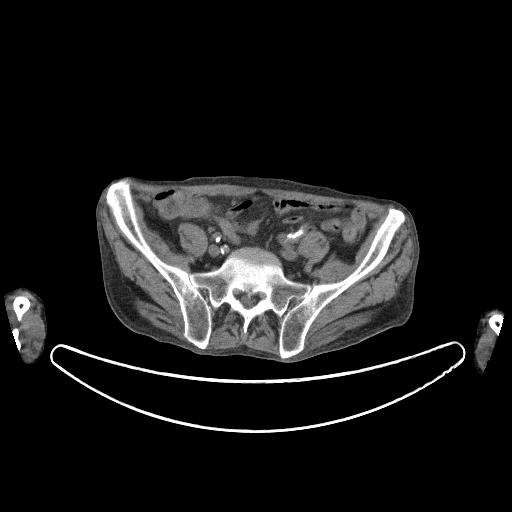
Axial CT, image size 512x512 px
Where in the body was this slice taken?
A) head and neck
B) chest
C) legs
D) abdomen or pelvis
D) abdomen or pelvis
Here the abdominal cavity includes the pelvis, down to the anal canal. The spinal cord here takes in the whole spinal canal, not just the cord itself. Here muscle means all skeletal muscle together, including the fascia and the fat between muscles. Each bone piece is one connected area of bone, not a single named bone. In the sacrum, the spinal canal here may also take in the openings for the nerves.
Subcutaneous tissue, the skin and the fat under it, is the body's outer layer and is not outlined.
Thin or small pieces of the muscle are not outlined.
The torso is outlined by [[124,175],[156,180],[178,180],[205,175],[277,177],[395,200],[403,204],[412,214],[419,240],[412,313],[407,322],[401,326],[389,328],[345,348],[291,363],[242,355],[201,355],[135,333],[118,320],[106,299],[95,218],[96,204],[103,188],[114,178]]. The muscle appears in 6 outlined pieces: piece 1: [[128,178],[152,185],[233,184],[394,204],[404,210],[411,221],[414,249],[412,265],[396,298],[381,307],[371,320],[325,344],[298,354],[304,349],[309,329],[324,307],[374,269],[384,258],[396,232],[405,222],[403,211],[392,206],[387,209],[365,254],[350,273],[337,281],[311,285],[314,279],[311,276],[329,255],[336,254],[340,260],[348,264],[354,261],[356,253],[372,228],[368,214],[358,205],[318,203],[296,197],[271,196],[262,191],[246,195],[210,195],[172,187],[161,189],[140,201],[147,226],[157,232],[176,253],[185,253],[177,231],[180,224],[187,222],[195,224],[204,230],[207,237],[203,254],[200,257],[189,258],[191,272],[188,272],[161,259],[144,237]]; piece 2: [[105,193],[105,202],[119,230],[169,283],[172,288],[178,301],[182,316],[183,336],[190,343],[181,340],[171,333],[154,326],[147,319],[138,313],[134,305],[134,299],[140,295],[141,291],[132,281],[124,276],[121,272],[106,238],[101,223],[100,208]]; piece 3: [[223,304],[227,304],[231,311],[236,312],[242,317],[242,331],[244,333],[247,332],[248,327],[254,318],[263,315],[269,310],[279,318],[281,318],[277,337],[278,355],[266,351],[252,349],[245,345],[226,349],[207,349],[213,329],[212,309],[217,309]]; piece 4: [[17,291],[26,291],[36,299],[40,305],[40,316],[44,325],[44,334],[41,341],[40,350],[38,354],[28,362],[24,362],[21,357],[19,352],[21,348],[21,343],[19,340],[19,329],[17,327],[15,327],[12,330],[10,329],[4,304],[4,299]]; inner edge: [[19,295],[22,295],[23,296],[25,296],[29,300],[29,301],[30,302],[30,305],[29,306],[28,309],[22,315],[22,317],[21,318],[20,321],[19,321],[17,319],[16,314],[13,309],[13,301],[14,300],[15,297],[16,296],[18,296]]; piece 5: [[312,230],[316,230],[322,233],[327,238],[329,242],[329,247],[328,248],[328,251],[327,253],[319,262],[315,264],[311,259],[309,259],[308,258],[304,257],[300,253],[299,251],[299,245],[300,244],[300,241],[308,232]]; piece 6: [[494,311],[498,312],[493,313],[488,318],[487,323],[498,337],[494,350],[490,357],[489,361],[486,364],[483,371],[480,368],[477,361],[477,344],[478,343],[478,340],[481,335],[481,332],[483,327],[482,325],[483,319],[485,318],[489,313]]. The bones appear in 4 outlined pieces: piece 1: [[122,178],[151,249],[188,273],[257,247],[293,281],[333,283],[359,265],[389,208],[405,219],[380,262],[323,307],[297,354],[280,357],[282,318],[272,310],[244,332],[243,317],[227,303],[211,309],[202,349],[184,336],[170,283],[115,222],[106,193]] with a hole at [[234,289],[238,289],[240,291],[246,292],[248,296],[255,295],[257,293],[262,293],[263,294],[263,298],[262,299],[260,299],[257,303],[254,304],[251,307],[247,308],[244,306],[244,305],[238,298],[236,298],[234,296],[234,294],[233,293],[233,290]]; piece 2: [[19,295],[22,295],[23,296],[25,296],[29,300],[29,301],[30,302],[30,305],[29,306],[28,309],[22,315],[22,317],[21,318],[20,321],[19,321],[17,319],[16,314],[13,309],[13,301],[14,300],[15,297],[16,296],[18,296]]; piece 3: [[495,313],[499,313],[503,316],[502,325],[501,326],[501,328],[500,329],[500,331],[499,332],[499,334],[498,335],[497,335],[497,334],[492,329],[492,328],[489,325],[489,324],[488,323],[488,320],[489,319],[489,318],[493,314],[494,314]]; piece 4: [[15,328],[17,328],[18,329],[18,340],[19,341],[19,342],[20,343],[20,348],[19,349],[18,349],[18,348],[17,347],[17,346],[16,345],[16,344],[15,343],[15,341],[14,340],[14,338],[13,337],[13,334],[12,333],[12,331]]. The abdominal cavity is outlined by [[171,188],[356,205],[371,228],[352,262],[331,253],[310,283],[287,277],[280,259],[257,246],[238,247],[218,267],[192,272],[190,258],[200,258],[208,245],[205,230],[190,221],[180,223],[176,231],[184,253],[176,252],[144,217],[141,201]] with a hole at [[312,230],[316,230],[322,233],[327,238],[329,242],[329,247],[328,248],[328,251],[327,253],[319,262],[315,264],[311,259],[309,259],[308,258],[304,257],[300,253],[299,251],[299,245],[300,244],[300,241],[308,232]]. The right arm is outlined by [[20,286],[27,287],[35,292],[42,299],[45,307],[45,314],[47,320],[47,335],[45,339],[44,350],[40,359],[33,364],[26,364],[21,357],[19,350],[15,343],[12,331],[10,329],[10,325],[7,318],[5,305],[4,304],[4,294],[7,291]]. The spinal cord is outlined by [[234,289],[238,289],[240,291],[246,292],[248,296],[255,295],[257,293],[262,293],[263,294],[263,298],[262,299],[260,299],[257,303],[254,304],[251,307],[247,308],[244,306],[244,305],[238,298],[236,298],[234,296],[234,294],[233,293],[233,290]]. The left arm is outlined by [[495,307],[501,308],[504,311],[502,315],[503,316],[502,325],[499,334],[497,336],[498,337],[497,338],[497,341],[490,359],[486,364],[482,373],[479,374],[475,369],[473,363],[473,345],[476,336],[476,328],[478,324],[478,320],[480,314],[486,310]].